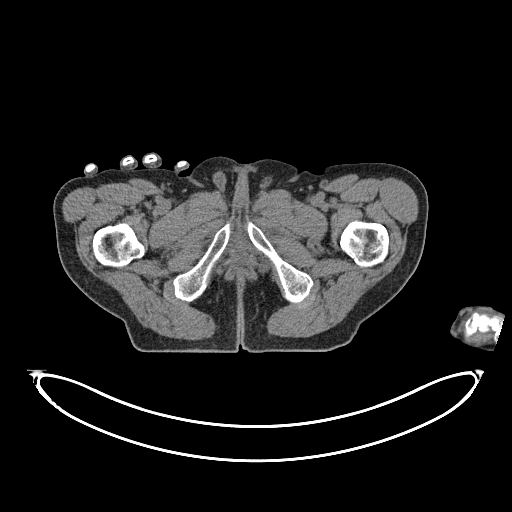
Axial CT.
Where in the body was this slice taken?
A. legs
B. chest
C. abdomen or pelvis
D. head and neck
C. abdomen or pelvis
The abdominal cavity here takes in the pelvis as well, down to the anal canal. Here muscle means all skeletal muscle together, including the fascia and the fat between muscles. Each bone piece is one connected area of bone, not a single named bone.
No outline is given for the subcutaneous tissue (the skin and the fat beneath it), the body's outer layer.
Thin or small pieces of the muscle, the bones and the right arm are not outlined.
Outlined structures:
abdominal cavity: 240,240 242,240 245,242 249,246 253,253 256,256 257,256 256,257 257,258 257,262 255,264 256,265 256,267 254,271 252,273 246,274 245,275 237,275 226,267 227,266 226,260 233,250 234,243
muscle 1: 348,173 398,177 415,192 418,216 393,270 341,322 308,337 268,334 266,319 287,303 269,271 240,291 222,275 215,275 207,288 230,239 228,221 200,258 172,279 174,296 196,300 193,305 218,325 213,336 188,340 139,323 119,293 81,263 62,213 69,192 110,180 147,179 179,199 216,190 232,209 242,210 259,194 277,189 302,200 319,181 with holes at 353,220 361,220 362,221 371,221 372,222 377,222 382,224 386,228 388,232 388,236 389,237 388,253 382,262 369,267 361,267 357,265 351,257 342,251 339,245 339,238 340,237 340,235 348,223 and at 122,222 127,223 132,228 138,239 143,244 145,249 145,253 142,257 133,259 129,263 122,267 105,266 101,264 96,259 93,253 92,250 92,240 94,233 99,228 106,225 109,225 110,224 111,225 and at 248,221 251,221 260,228 278,255 283,260 291,264 297,269 309,274 312,278 313,285 310,289 309,294 301,301 294,303 284,298 283,290 281,287 278,275 272,263 267,257 254,246 248,236 246,230 246,225 and at 240,240 242,240 245,242 249,246 253,253 256,256 257,256 256,257 257,258 257,262 255,264 256,265 256,267 254,271 252,273 246,274 245,275 237,275 226,267 227,266 226,260 233,250 234,243
muscle 2: 478,308 492,311 497,314 499,314 501,316 497,314 494,314 490,316 486,313 479,313 477,311 473,311 470,316 464,321 463,324 464,327 463,329 463,335 467,338 474,334 477,331 481,333 487,333 490,331 492,331 493,332 493,340 492,342 490,343 484,343 483,344 472,343 467,341 461,333 458,333 457,332 457,325 462,316 469,310 474,310
bones 1: 353,220 361,220 362,221 371,221 372,222 377,222 382,224 386,228 388,232 388,236 389,237 388,253 382,262 369,267 361,267 357,265 351,257 342,251 339,245 339,238 340,237 340,235 348,223
bones 2: 122,222 127,223 132,228 138,239 143,244 145,249 145,253 142,257 133,259 129,263 122,267 105,266 101,264 96,259 93,253 92,250 92,240 94,233 99,228 106,225 109,225 110,224 111,225
bones 3: 227,222 230,224 230,229 231,230 229,239 225,248 211,270 211,272 209,275 208,284 205,290 199,297 190,302 177,298 175,296 174,287 172,283 174,277 177,274 183,273 189,270 201,258 210,244 215,233
bones 4: 248,221 251,221 260,228 278,255 283,260 291,264 297,269 309,274 312,278 313,285 310,289 309,294 301,301 294,303 284,298 283,290 281,287 278,275 272,263 267,257 254,246 248,236 246,230 246,225
bones 5: 473,312 477,312 479,314 486,314 490,317 494,315 497,315 503,318 501,330 496,342 494,340 494,332 492,330 490,330 487,332 481,332 477,330 467,337 464,335 464,329 465,328 464,324 465,321 471,316
right arm 1: 151,152 155,152 156,153 157,153 161,157 161,158 162,159 162,163 161,164 161,167 160,167 159,168 146,168 145,167 144,167 144,162 143,161 143,159 144,158 144,157 147,154 148,154 149,153 150,153
right arm 2: 128,155 130,155 131,156 131,157 133,159 135,159 137,161 137,166 136,167 137,168 134,168 133,169 131,169 130,168 123,168 122,167 120,167 120,164 121,163 121,161 122,160 122,159
right arm 3: 179,163 181,163 182,164 184,164 185,163 187,163 188,164 188,166 185,169 184,169 183,170 182,170 179,173 177,171 176,171 175,170 174,170 173,169 173,168 175,166 177,166 178,165 178,164
torso: 213,156 241,163 276,159 316,174 329,165 358,162 407,168 423,183 429,205 415,271 349,343 330,351 249,353 240,346 237,353 139,351 124,323 64,271 56,246 55,194 71,178 109,168 165,168 186,176
left arm: 470,305 488,305 499,311 501,311 504,314 502,320 501,330 497,338 497,341 495,344 494,349 491,352 486,352 479,348 469,346 463,343 458,339 454,338 449,332 450,326 454,320 458,311 461,308